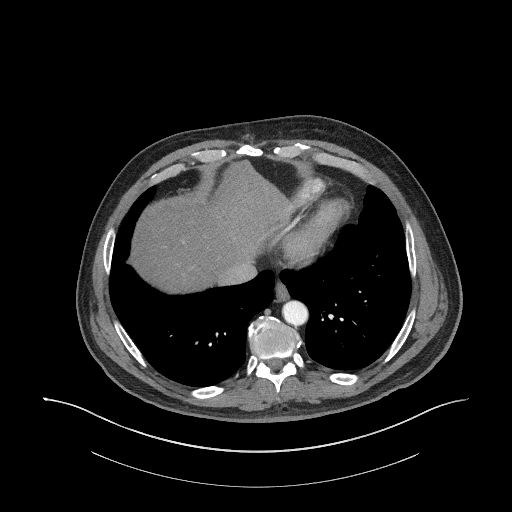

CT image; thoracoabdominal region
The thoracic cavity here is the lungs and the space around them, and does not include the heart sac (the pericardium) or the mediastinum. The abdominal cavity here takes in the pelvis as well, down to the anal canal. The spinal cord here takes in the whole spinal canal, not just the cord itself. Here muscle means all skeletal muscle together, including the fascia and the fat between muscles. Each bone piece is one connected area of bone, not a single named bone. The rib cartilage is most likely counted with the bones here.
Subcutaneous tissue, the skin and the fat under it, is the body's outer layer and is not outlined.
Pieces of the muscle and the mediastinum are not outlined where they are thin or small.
Outlines (x, y in pixels):
abdominal cavity: 171,295 210,288 227,270 264,254 267,234 291,214 292,203 286,196 315,170 313,165 297,158 273,154 262,157 230,156 188,168 195,168 200,173 199,180 188,193 164,200 152,199 136,222 126,262 152,287
torso: 239,423 304,420 377,401 430,371 448,350 457,330 463,303 461,281 451,246 429,197 389,146 347,122 295,114 171,134 128,160 109,185 90,223 76,282 76,313 83,341 92,357 118,386 148,403 183,415
bones 1: 277,392 279,391 282,381 287,376 295,374 298,366 301,368 305,366 304,359 298,350 303,341 294,329 278,318 261,315 248,326 247,337 250,354 245,365 245,374 249,375 253,372 257,377 269,379 275,385; inner edge: 272,371 277,371 278,370 279,370 282,367 282,366 283,365 283,360 282,359 280,359 279,358 272,358 271,359 269,359 267,361 267,364 268,365 268,366 271,369 271,370
bones 2: 375,186 377,186 376,180 361,164 351,159 340,157 325,151 313,148 309,145 302,144 298,142 282,147 276,146 272,150 272,153 286,157 297,157 298,156 305,157 309,156 316,163 341,168 357,176 368,184
bones 3: 383,363 387,362 398,351 398,350 405,341 411,329 411,327 412,326 412,324 415,317 415,308 414,307 412,308 407,314 405,318 405,320 398,334 394,339 393,342 389,348 384,353 383,355 384,356 383,358
bones 4: 144,367 146,367 149,364 145,360 142,354 135,345 135,344 132,341 132,340 130,338 124,328 121,325 119,321 117,319 113,320 114,327 118,335 123,342 124,345 129,351 129,352 138,361 138,362
bones 5: 412,280 414,280 415,278 415,267 416,266 415,250 414,249 414,237 413,236 413,232 412,231 411,225 409,221 406,220 404,224 405,242 406,243 406,252 408,258 409,270 410,271 410,275
bones 6: 149,185 154,185 169,177 174,176 178,174 180,172 186,170 187,169 187,167 185,163 183,162 179,162 178,163 175,163 172,165 170,165 154,173 149,177 150,178 148,182
bones 7: 108,277 110,272 110,268 111,267 111,256 112,255 112,251 113,250 113,244 114,243 114,240 116,235 116,231 112,226 111,226 108,229 106,233 106,235 105,236 105,240 103,245 103,264 105,268 106,275
bones 8: 191,163 194,163 195,161 198,161 201,163 205,163 210,161 215,161 216,160 223,159 224,157 226,157 227,155 227,151 225,149 205,149 200,151 195,151 192,152 190,154 190,156 194,160 191,161
bones 9: 201,399 203,398 211,397 212,396 214,396 221,393 224,390 224,387 221,385 212,385 211,386 208,386 207,387 198,387 197,388 194,388 192,389 190,392 190,394 192,396 194,396 197,398 200,398
bones 10: 344,385 349,385 350,384 352,384 356,382 359,378 357,374 355,373 346,373 345,372 333,372 329,374 328,376 328,378 331,381 333,382 335,382 336,383 338,383 339,384 343,384
bones 11: 249,156 262,156 264,154 264,151 262,149 258,147 253,146 247,143 245,144 242,144 240,145 236,149 235,151 235,154 237,155 248,155
muscle: 247,411 260,410 269,407 274,404 277,404 281,402 286,402 291,400 294,401 306,401 311,403 318,403 321,402 324,399 328,398 348,397 358,394 368,389 374,384 379,382 393,373 416,355 435,335 442,325 447,313 448,299 447,298 446,288 443,280 443,276 436,263 432,259 425,235 420,226 420,224 411,207 406,201 400,190 391,179 377,166 363,157 356,154 351,150 343,146 340,146 328,141 324,141 318,139 307,139 306,138 269,138 268,139 258,139 252,135 245,134 237,139 220,139 219,138 208,139 176,149 163,156 153,163 121,196 117,205 114,208 112,213 108,217 104,228 104,231 99,240 96,249 96,252 92,264 92,276 90,285 90,301 89,302 89,322 93,338 99,348 114,362 126,371 140,380 152,386 157,390 159,390 169,396 177,398 182,401 191,404 200,406 237,407 242,410 246,410, around holes outlined by 201,399 224,390 219,384 239,370 247,343 245,374 269,379 277,392 305,366 298,350 303,343 312,361 348,370 382,355 387,362 401,347 415,317 414,307 407,312 413,232 361,164 298,142 271,154 247,143 236,156 227,157 225,149 195,151 191,163 199,166 179,162 151,175 152,186 118,231 108,229 103,264 118,335 140,364 192,386 190,394 and by 344,385 349,385 350,384 352,384 356,382 359,378 357,374 355,373 346,373 345,372 333,372 329,374 328,376 328,378 331,381 333,382 335,382 336,383 338,383 339,384 343,384
spinal cord: 272,371 277,371 278,370 279,370 282,367 282,366 283,365 283,360 282,359 280,359 279,358 272,358 271,359 269,359 267,361 267,364 268,365 268,366 271,369 271,370
pericardium: 295,269 308,266 321,256 325,250 325,246 329,238 351,217 353,213 354,197 349,187 333,179 319,175 315,172 302,181 287,196 293,203 292,214 287,219 276,226 266,237 266,253 272,256 285,267
thoracic cavity 1: 348,370 367,366 388,348 407,313 411,292 402,224 386,194 371,185 367,186 357,224 342,227 334,246 313,264 298,271 284,270 280,274 290,295 305,303 309,309 310,317 303,340 307,355 312,361 330,369
thoracic cavity 2: 193,387 219,384 239,370 245,360 247,326 253,316 271,302 274,275 264,270 241,284 182,296 164,294 144,282 125,260 135,222 153,197 155,185 138,196 117,232 109,276 110,299 118,319 146,360 165,376
mediastinum 1: 303,339 309,317 308,309 305,304 289,295 279,277 284,269 298,270 285,268 269,255 263,254 227,271 214,284 213,287 233,285 251,279 264,269 272,270 275,275 272,302 251,321 261,314 276,316 294,328
mediastinum 2: 344,225 348,223 355,224 357,223 358,216 362,208 362,201 367,184 357,177 341,169 330,166 319,165 311,162 314,165 314,168 316,170 315,171 317,173 340,181 349,186 352,190 355,197 354,213 352,217
mediastinum 3: 153,199 155,199 156,198 158,199 164,199 165,198 169,198 170,197 178,196 188,192 195,185 196,182 198,180 199,173 195,169 190,169 184,172 182,172 174,177 169,178 157,184 156,185 157,186 157,191
mediastinum 4: 323,255 333,246 333,244 334,243 334,241 336,238 336,235 337,234 337,233 339,231 339,230 337,230 333,234 333,235 330,238 330,239 328,241 328,244 326,246 326,250 325,251 325,252 323,254